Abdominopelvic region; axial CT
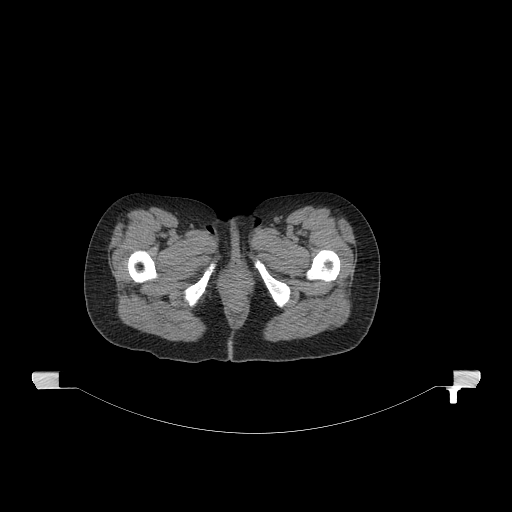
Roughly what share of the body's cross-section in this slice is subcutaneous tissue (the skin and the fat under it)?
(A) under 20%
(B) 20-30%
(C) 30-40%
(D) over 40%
Answer: (D) over 40%
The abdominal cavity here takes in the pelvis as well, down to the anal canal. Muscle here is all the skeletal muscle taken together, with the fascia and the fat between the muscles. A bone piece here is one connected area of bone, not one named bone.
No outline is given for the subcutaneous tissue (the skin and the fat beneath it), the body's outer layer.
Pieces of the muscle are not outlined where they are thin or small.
The muscle is outlined by (310, 203) (344, 217) (356, 240) (351, 312) (341, 327) (306, 338) (264, 340) (262, 329) (282, 311) (291, 288) (258, 258) (253, 266) (274, 303) (257, 280) (247, 318) (233, 331) (214, 283) (193, 312) (207, 326) (195, 342) (142, 332) (116, 315) (116, 284) (107, 247) (115, 225) (130, 210) (160, 207) (174, 214) (185, 229) (209, 231) (218, 239) (218, 273) (236, 253) (251, 271) (253, 263) (246, 253) (249, 233) (258, 226) (277, 227) (289, 213) with holes at (239, 270) (243, 270) (249, 276) (252, 283) (251, 287) (249, 288) (249, 291) (247, 292) (248, 295) (245, 311) (241, 319) (236, 323) (234, 323) (228, 313) (226, 307) (226, 302) (224, 299) (225, 298) (219, 287) (219, 282) (220, 279) (226, 273) (231, 275) and at (321, 249) (330, 249) (331, 250) (333, 250) (339, 257) (339, 259) (340, 260) (340, 269) (337, 277) (334, 280) (332, 280) (331, 281) (325, 281) (321, 279) (309, 280) (306, 278) (305, 274) (306, 273) (306, 271) (311, 265) (313, 257) (317, 253) (317, 252) and at (136, 250) (145, 250) (148, 252) (149, 255) (154, 261) (154, 263) (155, 264) (155, 268) (156, 269) (156, 272) (157, 273) (157, 277) (156, 277) (154, 279) (152, 279) (151, 280) (147, 280) (140, 283) (139, 282) (136, 282) (132, 279) (128, 272) (127, 261) (130, 254) and at (211, 262) (214, 262) (216, 265) (214, 268) (214, 270) (212, 272) (208, 280) (208, 282) (205, 288) (205, 290) (204, 292) (200, 296) (196, 303) (193, 306) (190, 306) (184, 299) (184, 293) (183, 291) (185, 288) (186, 288) (191, 284) (195, 283) (202, 276) (204, 271). The abdominal cavity is outlined by (239, 270) (243, 270) (249, 276) (252, 283) (251, 287) (249, 288) (249, 291) (247, 292) (248, 295) (245, 311) (241, 319) (236, 323) (234, 323) (228, 313) (226, 307) (226, 302) (224, 299) (225, 298) (219, 287) (219, 282) (220, 279) (226, 273) (231, 275). The bones appear in 4 outlined pieces: piece 1: (321, 249) (330, 249) (331, 250) (333, 250) (339, 257) (339, 259) (340, 260) (340, 269) (337, 277) (334, 280) (332, 280) (331, 281) (325, 281) (321, 279) (309, 280) (306, 278) (305, 274) (306, 273) (306, 271) (311, 265) (313, 257) (317, 253) (317, 252); piece 2: (136, 250) (145, 250) (148, 252) (149, 255) (154, 261) (154, 263) (155, 264) (155, 268) (156, 269) (156, 272) (157, 273) (157, 277) (156, 277) (154, 279) (152, 279) (151, 280) (147, 280) (140, 283) (139, 282) (136, 282) (132, 279) (128, 272) (127, 261) (130, 254); piece 3: (257, 259) (258, 259) (264, 264) (268, 272) (273, 277) (274, 277) (276, 279) (282, 282) (284, 282) (289, 286) (290, 288) (290, 297) (288, 301) (282, 307) (279, 307) (277, 306) (277, 305) (273, 300) (270, 293) (268, 291) (258, 270) (254, 266) (254, 262) (255, 260); piece 4: (211, 262) (214, 262) (216, 265) (214, 268) (214, 270) (212, 272) (208, 280) (208, 282) (205, 288) (205, 290) (204, 292) (200, 296) (196, 303) (193, 306) (190, 306) (184, 299) (184, 293) (183, 291) (185, 288) (186, 288) (191, 284) (195, 283) (202, 276) (204, 271). The torso is outlined by (310, 191) (329, 191) (349, 200) (364, 215) (376, 238) (380, 255) (379, 298) (369, 330) (355, 348) (293, 361) (190, 363) (116, 346) (93, 326) (83, 293) (85, 256) (98, 220) (116, 199) (134, 192) (187, 197) (207, 204) (225, 219) (238, 213) (247, 214) (270, 197).